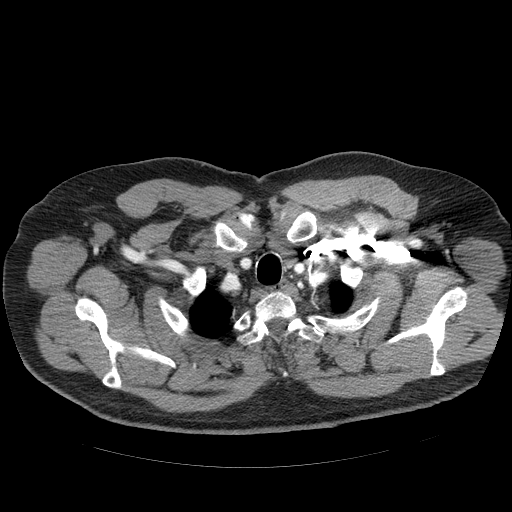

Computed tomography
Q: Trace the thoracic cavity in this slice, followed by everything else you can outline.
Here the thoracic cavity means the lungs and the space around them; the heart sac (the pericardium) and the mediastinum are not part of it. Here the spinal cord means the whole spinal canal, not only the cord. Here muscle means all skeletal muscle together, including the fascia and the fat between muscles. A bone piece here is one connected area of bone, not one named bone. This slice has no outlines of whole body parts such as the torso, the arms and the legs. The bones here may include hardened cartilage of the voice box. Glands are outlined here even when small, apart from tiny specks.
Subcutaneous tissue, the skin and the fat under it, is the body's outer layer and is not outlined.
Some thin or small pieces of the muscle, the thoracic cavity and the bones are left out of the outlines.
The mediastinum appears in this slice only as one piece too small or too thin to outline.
A: The thoracic cavity is outlined by (264, 240) (270, 240) (269, 249) (283, 258) (286, 268) (296, 255) (283, 247) (315, 250) (317, 260) (353, 291) (349, 307) (334, 316) (307, 312) (290, 294) (276, 289) (247, 307) (225, 335) (208, 338) (195, 333) (188, 318) (190, 307) (222, 256) (250, 252). The thyroid glands are outlined by (268, 241) (273, 241) (273, 242) (274, 243) (275, 243) (279, 246) (284, 248) (286, 250) (289, 250) (290, 251) (292, 251) (295, 255) (295, 261) (289, 267) (286, 267) (286, 266) (284, 263) (284, 258) (282, 256) (281, 256) (273, 250) (270, 249) (270, 248) (268, 245). The muscle is outlined by (363, 174) (420, 194) (438, 227) (502, 248) (505, 317) (483, 359) (446, 372) (438, 357) (446, 321) (467, 304) (460, 285) (422, 323) (384, 341) (425, 335) (431, 377) (379, 397) (318, 395) (283, 369) (221, 409) (162, 411) (114, 390) (123, 387) (117, 356) (174, 369) (175, 361) (113, 338) (103, 307) (86, 295) (74, 312) (97, 328) (109, 369) (100, 380) (41, 356) (26, 278) (31, 252) (89, 225) (117, 192) (171, 178) (264, 200) (301, 180); inner edges: (264, 240) (281, 247) (307, 246) (338, 277) (341, 263) (360, 267) (363, 275) (351, 304) (334, 316) (350, 314) (376, 296) (380, 297) (376, 312) (361, 328) (344, 334) (326, 332) (319, 342) (304, 339) (296, 331) (281, 345) (266, 337) (242, 345) (231, 329) (217, 338) (203, 337) (192, 330) (187, 336) (179, 335) (158, 305) (161, 296) (189, 316) (193, 301) (183, 286) (181, 267) (174, 261) (190, 271) (203, 266) (209, 280) (224, 254) (250, 252), then (237, 212) (252, 213) (256, 217) (256, 220) (253, 223) (251, 229) (243, 228) (239, 231) (239, 233) (247, 239) (247, 246) (240, 252) (226, 251) (220, 247) (214, 246) (215, 235) (213, 227) (216, 222) (218, 220) (221, 220) (234, 228) (238, 223) (238, 218) (236, 215), then (304, 210) (310, 210) (312, 212) (313, 212) (313, 213) (315, 215) (317, 219) (317, 222) (318, 223) (318, 235) (304, 241) (299, 241) (298, 242) (295, 242) (293, 243) (289, 241) (286, 238) (286, 230) (289, 227) (294, 218) (299, 213) (302, 212), then (282, 209) (286, 209) (286, 214) (285, 215) (285, 216) (283, 218) (283, 219) (282, 220) (280, 220) (279, 219) (279, 218) (277, 216) (276, 217) (273, 217) (273, 216) (272, 215) (272, 214) (273, 213) (273, 212) (274, 212) (275, 213) (276, 213) (277, 214). The spinal cord is outlined by (276, 317) (280, 317) (281, 318) (283, 318) (284, 319) (287, 320) (286, 327) (285, 328) (284, 331) (281, 334) (280, 334) (279, 335) (275, 335) (274, 334) (273, 334) (269, 330) (269, 329) (268, 328) (268, 326) (267, 325) (267, 322) (268, 322) (273, 318) (275, 318). The bones appear in 9 outlined pieces: piece 1: (276, 290) (290, 295) (298, 309) (327, 317) (343, 317) (376, 296) (380, 297) (380, 302) (376, 312) (361, 328) (344, 334) (326, 332) (319, 342) (304, 339) (294, 331) (281, 345) (271, 343) (266, 337) (242, 345) (235, 339) (236, 333) (232, 330) (234, 321) (262, 296), around a hole outlined by (276, 317) (280, 317) (281, 318) (283, 318) (284, 319) (287, 320) (286, 327) (285, 328) (284, 331) (281, 334) (280, 334) (279, 335) (275, 335) (274, 334) (273, 334) (269, 330) (269, 329) (268, 328) (268, 326) (267, 325) (267, 322) (268, 322) (273, 318) (275, 318); piece 2: (81, 296) (91, 298) (102, 307) (108, 320) (107, 332) (113, 339) (124, 344) (147, 346) (171, 358) (175, 367) (129, 352) (119, 353) (116, 356) (116, 366) (122, 387) (114, 389) (104, 385) (101, 380) (111, 367) (109, 352) (96, 325) (76, 315) (75, 305); piece 3: (455, 286) (460, 286) (465, 290) (467, 294) (466, 304) (445, 321) (443, 343) (437, 351) (437, 357) (444, 366) (445, 372) (441, 375) (429, 376) (432, 362) (432, 343) (425, 334) (410, 336) (389, 344) (386, 344) (385, 341) (401, 331) (422, 324) (442, 294); piece 4: (237, 212) (252, 213) (256, 217) (256, 220) (253, 223) (251, 229) (243, 228) (239, 231) (239, 233) (247, 239) (247, 246) (240, 252) (226, 251) (220, 247) (214, 246) (215, 235) (213, 227) (216, 222) (218, 220) (221, 220) (234, 228) (238, 223) (238, 218) (236, 215); piece 5: (304, 210) (310, 210) (312, 212) (313, 212) (313, 213) (315, 215) (317, 219) (317, 222) (318, 223) (318, 235) (304, 241) (299, 241) (298, 242) (295, 242) (293, 243) (289, 241) (286, 238) (286, 230) (289, 227) (294, 218) (299, 213) (302, 212); piece 6: (159, 296) (161, 296) (169, 303) (170, 303) (172, 305) (178, 308) (187, 317) (189, 321) (189, 325) (191, 329) (191, 331) (187, 336) (181, 336) (177, 333) (176, 333) (170, 327) (168, 323) (165, 320) (162, 314) (162, 312) (160, 309) (160, 307) (158, 305) (158, 297); piece 7: (174, 261) (176, 261) (184, 265) (190, 271) (192, 271) (197, 266) (203, 266) (205, 268) (205, 273) (206, 274) (205, 288) (203, 291) (193, 300) (190, 298) (188, 292) (183, 286) (183, 283) (182, 282) (184, 278) (184, 275) (180, 271) (181, 270) (181, 267) (174, 262); piece 8: (345, 262) (348, 262) (348, 263) (351, 266) (353, 267) (355, 266) (358, 266) (360, 267) (363, 272) (363, 275) (360, 281) (360, 283) (355, 290) (353, 290) (349, 286) (345, 284) (340, 279) (340, 277) (339, 276) (339, 273) (340, 272) (340, 265) (341, 263) (344, 263); piece 9: (282, 209) (286, 209) (286, 214) (285, 215) (285, 216) (283, 218) (283, 219) (282, 220) (280, 220) (279, 219) (279, 218) (277, 216) (276, 217) (273, 217) (273, 216) (272, 215) (272, 214) (273, 213) (273, 212) (274, 212) (275, 213) (276, 213) (277, 214).